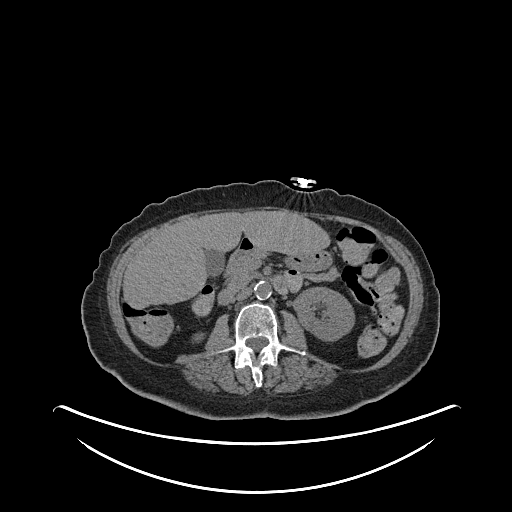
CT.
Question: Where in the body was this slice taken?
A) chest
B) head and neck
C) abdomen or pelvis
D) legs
Answer: C) abdomen or pelvis
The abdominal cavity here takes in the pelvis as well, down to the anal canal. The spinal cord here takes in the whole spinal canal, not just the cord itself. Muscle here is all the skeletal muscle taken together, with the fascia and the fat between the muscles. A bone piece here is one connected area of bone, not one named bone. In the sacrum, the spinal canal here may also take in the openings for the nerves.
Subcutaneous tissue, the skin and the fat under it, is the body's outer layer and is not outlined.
Outlines (x, y in pixels):
bones: 253,302 266,304 272,308 277,318 277,335 281,343 306,352 305,355 301,355 282,349 278,353 276,366 262,366 263,379 258,388 248,365 241,368 234,366 235,354 232,350 212,353 235,342 234,320 243,306 with a hole at 258,337 263,337 264,338 267,339 268,342 267,343 267,344 266,345 265,345 259,351 256,352 251,347 248,346 246,344 246,341 247,340 247,339 249,339 250,338 257,338
abdominal cavity: 264,209 362,226 401,265 407,311 379,359 343,367 311,353 304,329 287,310 280,312 279,339 275,311 258,301 239,309 234,339 229,314 219,315 203,351 158,361 136,346 120,289 130,257 142,244 191,215
spinal cord: 258,337 263,337 264,338 267,339 268,342 267,343 267,344 266,345 265,345 259,351 256,352 251,347 248,346 246,344 246,341 247,340 247,339 249,339 250,338 257,338
torso: 265,179 281,181 297,190 331,188 355,195 380,206 412,233 430,264 440,297 439,329 427,362 395,391 351,411 316,418 211,419 176,410 130,390 96,361 82,325 82,296 100,253 113,233 150,203 198,187
muscle: 268,205 270,206 284,207 288,209 297,210 302,212 303,211 304,212 324,213 325,214 339,215 353,219 357,219 363,221 373,226 385,234 392,236 397,239 411,252 419,268 420,276 422,280 422,284 423,285 423,305 420,313 418,323 414,329 412,336 402,350 388,364 380,368 362,373 354,373 353,374 347,373 346,374 342,374 336,378 331,384 327,385 317,391 311,392 308,394 304,394 298,396 278,396 277,395 270,395 260,389 256,391 253,391 248,395 238,396 237,397 212,395 200,391 195,387 190,385 185,380 183,375 179,370 175,368 163,368 148,364 139,359 132,353 123,343 115,331 115,328 109,313 109,309 107,304 107,298 106,297 107,295 106,284 109,275 109,271 114,259 121,251 122,246 128,240 141,231 155,226 160,223 165,222 171,218 190,212 195,212 196,211 207,210 208,209 239,208 240,207 267,206; inner edge: 264,209 362,226 401,265 407,311 379,359 343,367 311,353 287,310 279,340 306,354 282,349 276,366 262,366 258,388 232,350 212,353 235,342 228,313 203,351 158,361 136,346 120,289 142,244 191,215